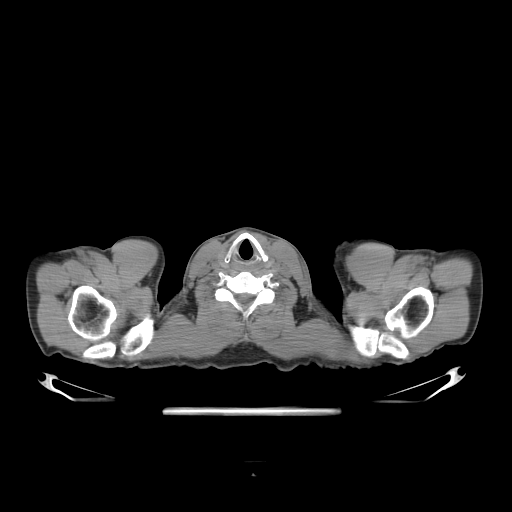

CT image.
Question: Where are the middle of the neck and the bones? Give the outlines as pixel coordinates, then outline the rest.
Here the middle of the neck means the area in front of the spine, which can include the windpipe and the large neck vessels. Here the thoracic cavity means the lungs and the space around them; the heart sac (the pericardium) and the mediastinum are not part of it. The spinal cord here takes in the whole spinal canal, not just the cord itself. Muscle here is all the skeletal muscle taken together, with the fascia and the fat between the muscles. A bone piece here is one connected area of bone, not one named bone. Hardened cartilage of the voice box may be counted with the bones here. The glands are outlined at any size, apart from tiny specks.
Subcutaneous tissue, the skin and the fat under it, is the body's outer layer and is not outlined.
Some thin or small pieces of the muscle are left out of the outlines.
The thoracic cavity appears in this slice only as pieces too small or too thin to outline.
Answer: The middle of the neck is outlined by 245 238; 248 238; 254 245; 261 260; 264 262; 269 260; 269 255; 263 247; 278 261; 280 264; 279 269; 273 270; 263 267; 249 269; 213 268; 210 263; 213 258; 217 255; 217 259; 221 265; 224 263; 227 264; 230 261; 236 245. The bones appear in 5 outlined pieces: piece 1: 417 286; 424 286; 432 291; 434 297; 433 314; 430 322; 416 336; 403 340; 409 351; 408 357; 406 359; 396 358; 379 351; 373 357; 360 355; 353 346; 347 325; 362 324; 381 332; 386 331; 384 321; 386 312; 409 290; piece 2: 80 285; 90 285; 94 287; 102 295; 110 299; 116 308; 117 316; 111 324; 109 334; 105 338; 106 340; 112 340; 116 343; 116 351; 112 358; 85 359; 82 357; 82 353; 84 350; 93 343; 73 331; 67 319; 72 293; 74 289; piece 3: 243 270; 249 271; 256 276; 261 276; 270 271; 273 274; 270 279; 279 283; 273 289; 275 292; 273 301; 271 303; 259 304; 246 319; 230 302; 219 301; 214 295; 216 288; 214 283; 219 280; 218 273; 220 271; 233 276 with a hole at 241 293; 247 293; 248 294; 253 294; 254 295; 255 295; 255 297; 252 300; 252 301; 249 304; 248 304; 247 305; 244 305; 243 304; 242 304; 241 303; 240 303; 239 302; 238 302; 234 296; 234 294; 240 294; piece 4: 148 313; 149 313; 154 319; 154 335; 152 338; 152 340; 151 342; 142 351; 141 351; 137 354; 135 354; 134 355; 126 355; 125 354; 123 354; 120 351; 120 339; 122 335; 130 327; 140 322; piece 5: 245 231; 249 232; 260 243; 263 250; 268 255; 268 260; 267 261; 264 261; 261 259; 260 258; 261 256; 260 253; 255 245; 248 237; 245 237; 235 245; 231 252; 229 261; 227 263; 225 263; 224 262; 224 257; 232 242; 242 232. The spinal cord is outlined by 241 293; 247 293; 248 294; 253 294; 254 295; 255 295; 255 297; 252 300; 252 301; 249 304; 248 304; 247 305; 244 305; 243 304; 242 304; 241 303; 240 303; 239 302; 238 302; 234 296; 234 294; 240 294. The right arm is outlined by 134 234; 151 236; 161 243; 165 251; 165 267; 157 293; 159 301; 152 312; 134 331; 104 345; 66 358; 59 353; 45 356; 31 333; 26 310; 25 277; 27 266; 32 256; 41 251; 59 250; 80 244; 106 248; 111 246; 117 239. The thyroid glands are outlined by 221 251; 223 251; 224 252; 224 254; 223 255; 223 264; 221 264; 220 263; 220 262; 219 261; 219 260; 218 259; 218 254. The left arm is outlined by 354 238; 375 238; 400 249; 428 247; 445 250; 466 246; 475 250; 482 264; 483 300; 478 325; 471 339; 465 344; 445 346; 427 357; 415 360; 382 338; 368 331; 354 329; 346 325; 340 319; 342 293; 331 261; 336 244; 344 239. The torso is outlined by 178 290; 191 321; 229 353; 259 352; 289 336; 307 316; 314 291; 346 326; 368 332; 416 361; 369 369; 328 369; 312 363; 291 371; 280 371; 265 362; 201 370; 174 366; 107 369; 80 363; 67 358; 134 332; 159 302; 162 306. The head and neck is outlined by 239 226; 253 226; 260 228; 278 235; 291 242; 302 254; 307 264; 313 289; 312 302; 306 316; 289 335; 281 339; 271 347; 247 354; 237 354; 229 352; 212 342; 188 315; 183 304; 179 289; 182 283; 185 266; 193 250; 204 240. The muscle is outlined by 241 229; 289 244; 301 262; 307 298; 340 327; 350 292; 343 257; 355 244; 375 242; 402 254; 437 259; 466 255; 474 265; 467 330; 459 338; 407 359; 410 351; 404 340; 416 337; 434 314; 433 291; 417 285; 385 312; 386 330; 362 323; 346 325; 360 356; 389 355; 367 362; 317 355; 282 359; 252 343; 198 359; 105 359; 112 359; 117 351; 117 343; 106 339; 117 308; 94 286; 80 284; 71 293; 66 319; 73 332; 92 343; 81 353; 84 359; 48 346; 36 319; 35 271; 41 263; 61 260; 78 250; 109 257; 122 240; 150 241; 158 247; 159 257; 147 282; 154 306; 163 313; 188 295; 189 268; 199 249 with holes at 245 231; 280 264; 278 270; 263 267; 246 270; 256 276; 270 271; 273 274; 270 279; 279 283; 273 289; 273 301; 259 304; 246 319; 230 302; 219 301; 214 295; 214 283; 219 280; 220 271; 233 276; 243 270; 213 268; 210 263 and at 148 313; 149 313; 154 319; 154 335; 152 338; 152 340; 151 342; 142 351; 141 351; 137 354; 135 354; 134 355; 126 355; 125 354; 123 354; 120 351; 120 339; 122 335; 130 327; 140 322.